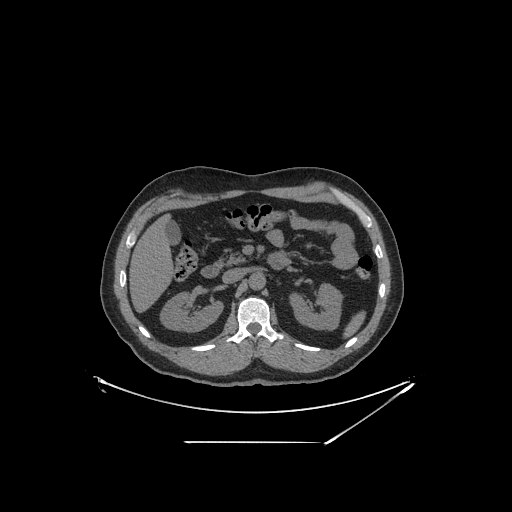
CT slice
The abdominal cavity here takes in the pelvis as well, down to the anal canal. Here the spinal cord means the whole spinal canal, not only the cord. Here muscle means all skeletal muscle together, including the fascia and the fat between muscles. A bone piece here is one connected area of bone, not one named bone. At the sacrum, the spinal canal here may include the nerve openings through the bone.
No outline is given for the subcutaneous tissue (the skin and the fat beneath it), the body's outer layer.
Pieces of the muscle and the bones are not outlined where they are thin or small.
The bones appear in 10 outlined pieces: piece 1: 249,296 262,298 267,302 270,308 270,324 276,331 284,335 282,339 276,339 270,342 267,338 260,336 255,340 246,337 239,343 233,341 226,341 226,338 233,335 238,329 238,322 236,317 238,304 240,301, around a hole outlined by 251,323 257,323 258,324 259,324 260,325 260,329 256,333 255,333 254,334 253,334 252,333 251,333 247,329 247,326 249,324 250,324; piece 2: 330,187 333,187 339,190 342,193 343,193 345,195 346,195 348,197 352,199 371,218 371,221 372,222 372,225 371,227 369,228 366,228 362,224 357,214 353,210 343,205 336,198 336,197 331,192 330,190; piece 3: 133,228 136,228 137,229 137,236 135,239 135,242 133,244 133,245 131,247 131,248 130,248 129,249 126,247 126,246 125,245 125,242 126,241 126,238 127,237 127,236 128,235 128,234 130,232 130,231; piece 4: 211,343 213,343 214,344 215,344 215,346 213,348 212,348 211,349 208,349 207,350 203,350 202,351 197,351 196,350 191,350 190,349 190,347 191,346 194,346 195,345 200,345 201,344 210,344; piece 5: 298,342 300,342 301,343 303,343 307,345 310,345 311,346 317,346 318,347 320,347 321,349 318,351 310,351 309,350 305,350 299,347 297,347 294,345 294,343 297,343; piece 6: 121,269 124,269 125,270 125,272 126,273 126,285 125,286 124,286 123,287 121,287 120,286 120,284 119,283 119,274 120,273 120,270; piece 7: 376,244 379,244 379,245 380,246 380,247 381,248 381,249 382,250 382,253 383,254 383,256 381,258 377,258 377,257 376,256 376,255 374,253 374,251 373,250 373,248 374,247 374,246; piece 8: 381,282 383,282 385,284 385,293 384,294 384,296 382,298 381,297 380,297 378,295 378,286 379,285 379,284; piece 9: 139,325 143,325 146,328 146,329 151,334 151,336 150,337 146,337 143,334 142,334 141,333 141,332 139,330 139,329 138,328 138,326; piece 10: 354,336 357,336 357,340 352,345 351,345 349,347 345,347 345,346 344,345 345,344 345,343 349,339 350,339 352,337 353,337. The abdominal cavity is outlined by 245,194 342,205 356,214 370,238 378,276 374,307 356,335 332,348 301,342 280,327 275,309 264,298 254,295 240,300 221,332 200,344 165,343 136,316 128,297 126,267 130,250 144,226 167,210 193,208. The torso is outlined by 195,165 246,174 294,166 323,167 351,177 376,201 397,241 403,267 404,295 391,329 378,346 355,367 335,378 316,383 218,387 154,371 117,335 103,311 99,294 102,261 111,233 127,205 148,182 168,171. The spinal cord is outlined by 251,323 257,323 258,324 259,324 260,325 260,329 256,333 255,333 254,334 253,334 252,333 251,333 247,329 247,326 249,324 250,324. The muscle is outlined by 312,181 323,181 324,182 330,183 332,185 352,194 361,200 368,207 370,211 373,214 381,231 382,237 385,244 387,256 390,264 390,278 391,279 391,282 390,283 390,292 386,303 386,307 380,318 377,329 366,343 357,350 344,356 330,366 324,369 314,371 313,372 300,373 299,372 288,371 283,369 278,369 269,366 262,361 256,359 243,369 235,371 233,373 227,375 208,375 207,374 202,374 189,370 186,368 177,365 166,357 152,350 150,350 146,346 141,343 124,319 119,309 119,306 118,305 119,302 114,293 113,282 114,281 114,261 115,260 115,255 116,254 117,247 127,224 135,211 142,204 146,202 149,199 155,196 161,195 165,193 168,190 173,188 181,188 184,191 190,193 204,193 205,192 207,193 215,193 216,192 217,193 227,190 235,190 236,189 265,189 266,188 272,188 273,187 298,186 299,185 306,184; inner edge: 330,187 352,199 371,218 372,225 366,230 372,247 379,244 383,254 377,259 377,275 378,283 385,284 384,296 376,296 371,315 352,345 345,347 342,343 318,351 297,347 294,343 299,341 280,327 273,307 270,308 270,324 284,337 272,342 263,336 255,340 246,337 239,343 227,342 226,338 238,329 234,308 221,332 204,343 215,344 211,349 191,350 190,345 170,345 152,334 146,337 141,333 138,326 143,324 132,309 127,286 121,287 119,283 120,270 126,269 130,255 126,238 133,228 137,229 138,235 154,216 164,211 193,208 245,194 341,205.